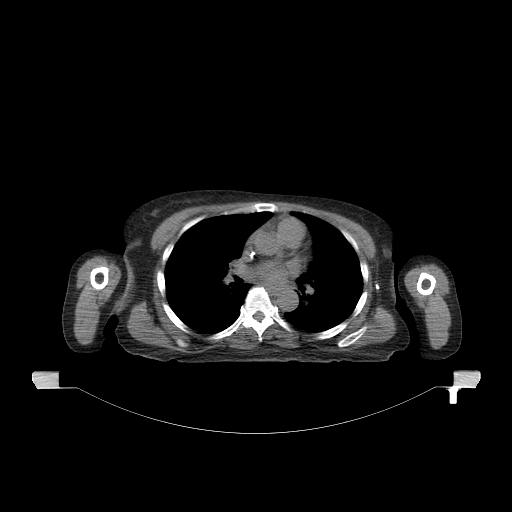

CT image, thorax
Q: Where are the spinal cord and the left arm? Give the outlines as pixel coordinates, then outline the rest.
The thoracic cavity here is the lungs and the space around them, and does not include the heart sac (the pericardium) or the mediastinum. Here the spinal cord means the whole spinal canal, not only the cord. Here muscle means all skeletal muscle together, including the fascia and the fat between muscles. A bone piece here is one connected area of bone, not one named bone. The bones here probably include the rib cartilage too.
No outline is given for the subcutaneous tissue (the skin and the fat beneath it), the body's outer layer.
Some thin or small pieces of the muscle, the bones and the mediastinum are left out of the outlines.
A: The spinal cord is outlined by 258 311; 259 311; 260 312; 261 312; 263 314; 263 315; 264 316; 263 317; 263 318; 261 320; 257 320; 255 318; 254 318; 254 317; 253 316; 253 315; 256 312; 257 312. The left arm is outlined by 419 253; 431 254; 441 259; 449 267; 453 274; 455 281; 456 292; 462 316; 462 338; 458 350; 454 354; 443 359; 432 360; 425 359; 420 356; 418 352; 419 336; 414 319; 405 302; 400 296; 397 287; 397 276; 399 269; 411 256. The pericardium is outlined by 282 214; 288 214; 295 217; 301 220; 305 224; 309 232; 311 241; 310 244; 311 257; 309 261; 307 262; 305 269; 293 278; 279 280; 278 279; 275 280; 262 279; 255 276; 244 267; 242 257; 244 247; 249 236; 255 230; 270 220. The right arm is outlined by 95 248; 103 248; 110 251; 118 252; 122 256; 127 267; 128 281; 122 299; 114 315; 109 318; 104 327; 103 330; 104 340; 100 349; 94 353; 78 353; 70 349; 65 342; 61 324; 62 306; 67 286; 68 275; 73 262; 82 253. The muscle appears in 4 outlined pieces: piece 1: 242 201; 261 201; 209 217; 201 214; 188 220; 179 230; 177 241; 169 242; 163 249; 161 263; 165 265; 164 270; 158 269; 155 277; 160 295; 167 301; 161 303; 165 314; 183 332; 190 334; 192 329; 209 334; 206 337; 209 341; 218 341; 241 328; 252 328; 259 342; 245 349; 219 346; 187 353; 135 339; 129 333; 126 321; 133 305; 153 295; 156 255; 150 242; 159 224; 188 207, around a hole outlined by 178 338; 180 338; 182 340; 183 340; 186 343; 187 343; 187 346; 181 346; 180 345; 178 345; 177 344; 177 343; 176 342; 176 340; piece 2: 272 201; 299 203; 334 212; 357 222; 369 233; 376 248; 372 263; 374 300; 395 320; 396 332; 392 337; 339 352; 321 350; 307 343; 282 347; 262 341; 264 331; 274 324; 290 333; 294 331; 293 327; 311 332; 316 340; 332 338; 347 327; 349 322; 346 319; 350 315; 356 317; 360 313; 368 297; 363 286; 368 282; 369 268; 364 260; 359 260; 359 246; 351 233; 306 209; 290 210; inner edge: 364 325; 365 325; 367 327; 366 328; 365 331; 358 339; 357 339; 353 343; 352 343; 350 345; 348 345; 347 346; 344 346; 343 347; 340 347; 339 346; 338 346; 337 343; 342 338; 345 337; 348 334; 359 329; 362 326; 363 326; piece 3: 96 255; 108 256; 114 259; 121 270; 121 277; 109 299; 100 309; 99 321; 97 324; 97 328; 93 341; 90 344; 82 345; 75 338; 73 331; 74 310; 78 297; 78 291; 76 288; 76 274; 77 273; 77 270; 87 259; 89 259, around a hole outlined by 97 266; 106 266; 108 268; 108 281; 107 282; 107 284; 103 288; 102 288; 101 289; 95 289; 91 285; 91 283; 90 282; 90 272; 91 271; 91 270; 93 268; 94 268; 95 267; 96 267; piece 4: 421 263; 434 263; 436 264; 443 270; 449 281; 450 292; 446 299; 446 302; 448 305; 451 316; 451 325; 449 328; 448 340; 446 344; 439 349; 433 349; 430 346; 424 320; 424 313; 416 304; 404 284; 405 274; 411 268 with a hole at 421 272; 427 272; 428 273; 431 274; 435 278; 435 286; 434 287; 434 288; 433 289; 432 292; 430 294; 429 294; 428 295; 423 295; 422 294; 421 294; 417 290; 417 289; 416 288; 416 284; 417 283; 417 280; 418 279; 418 277. The thoracic cavity appears in 2 outlined pieces: piece 1: 255 212; 270 212; 271 215; 247 237; 240 257; 235 260; 239 267; 239 275; 245 283; 249 283; 251 285; 239 308; 238 316; 225 328; 210 334; 189 327; 175 313; 166 297; 164 271; 175 244; 188 229; 206 218; 218 215; 248 214; piece 2: 291 211; 299 211; 313 215; 335 227; 351 245; 359 261; 363 285; 351 314; 339 323; 320 331; 312 332; 299 329; 291 325; 282 316; 298 307; 300 291; 296 280; 302 274; 310 271; 310 265; 314 259; 312 234; 305 222; 291 215. The torso is outlined by 202 188; 323 196; 357 204; 382 217; 395 233; 392 258; 396 307; 409 329; 408 346; 378 362; 179 362; 125 351; 114 334; 117 323; 114 316; 129 281; 128 267; 120 253; 125 249; 121 235; 123 221; 130 211; 149 199. The mediastinum appears in 3 outlined pieces: piece 1: 241 256; 243 267; 255 277; 262 280; 288 280; 301 274; 295 280; 297 289; 299 291; 299 302; 297 307; 291 311; 283 313; 282 315; 279 308; 272 302; 267 290; 262 285; 252 285; 249 282; 245 282; 240 275; 240 267; 236 260; piece 2: 310 232; 311 237; 312 238; 312 248; 313 249; 312 256; 313 257; 313 259; 309 265; 309 271; 302 273; 302 272; 306 269; 308 265; 308 262; 310 261; 312 257; 312 255; 311 254; 311 244; 312 243; 312 241; 311 240; piece 3: 286 211; 290 211; 289 214; 288 213; 282 213; 281 214; 280 214; 279 215; 278 215; 277 216; 276 216; 275 217; 274 217; 273 218; 270 219; 268 221; 267 221; 265 223; 264 223; 272 215; 272 213; 273 212; 285 212. The bones appear in 14 outlined pieces: piece 1: 252 286; 262 286; 266 290; 271 302; 278 308; 279 313; 292 327; 293 331; 290 332; 274 323; 263 331; 261 341; 258 340; 258 335; 252 327; 241 327; 230 335; 218 340; 209 340; 208 336; 225 329; 239 316; 240 308, around a hole outlined by 258 311; 259 311; 260 312; 261 312; 263 314; 263 315; 264 316; 263 317; 263 318; 261 320; 257 320; 255 318; 254 318; 254 317; 253 316; 253 315; 256 312; 257 312; piece 2: 257 202; 272 202; 279 207; 283 207; 289 210; 286 210; 285 211; 273 211; 272 212; 270 211; 255 211; 254 212; 249 212; 248 213; 219 214; 224 211; 232 210; 233 209; 239 208; 240 207; 244 207; 248 205; 251 205; piece 3: 97 266; 106 266; 108 268; 108 281; 107 282; 107 284; 103 288; 102 288; 101 289; 95 289; 91 285; 91 283; 90 282; 90 272; 91 271; 91 270; 93 268; 94 268; 95 267; 96 267; piece 4: 421 272; 427 272; 428 273; 431 274; 435 278; 435 286; 434 287; 434 288; 433 289; 432 292; 430 294; 429 294; 428 295; 423 295; 422 294; 421 294; 417 290; 417 289; 416 288; 416 284; 417 283; 417 280; 418 279; 418 277; piece 5: 345 320; 346 320; 348 322; 346 327; 334 336; 332 337; 330 337; 329 338; 326 338; 325 339; 316 339; 314 337; 314 335; 313 334; 315 332; 320 332; 324 330; 327 330; 339 324; 341 322; piece 6: 163 302; 166 302; 169 305; 169 306; 174 312; 174 313; 187 326; 188 326; 188 327; 191 331; 190 333; 187 333; 183 331; 181 329; 177 327; 171 321; 171 320; 166 314; 162 306; 162 303; piece 7: 364 325; 365 325; 367 327; 366 328; 365 331; 358 339; 357 339; 353 343; 352 343; 350 345; 348 345; 347 346; 344 346; 343 347; 340 347; 339 346; 338 346; 337 343; 342 338; 345 337; 348 334; 359 329; 362 326; 363 326; piece 8: 363 290; 366 290; 367 291; 367 297; 366 298; 365 303; 362 307; 362 308; 359 312; 359 313; 356 316; 352 316; 352 312; 353 311; 353 310; 354 309; 354 308; 355 307; 355 306; 356 305; 356 304; 357 303; 357 302; 358 301; piece 9: 161 269; 163 271; 163 272; 164 273; 164 280; 165 281; 165 296; 162 296; 161 295; 161 293; 160 292; 160 291; 159 290; 159 288; 158 287; 158 285; 157 284; 157 278; 156 277; 156 274; 157 273; 157 271; 158 270; 160 270; piece 10: 201 215; 205 215; 206 216; 205 218; 200 220; 198 222; 197 222; 195 224; 194 224; 192 226; 188 228; 179 237; 178 236; 178 234; 180 230; 182 228; 182 227; 188 221; 198 216; 200 216; piece 11: 339 228; 342 228; 343 229; 346 230; 348 232; 349 232; 350 233; 350 234; 355 240; 355 241; 358 246; 358 249; 359 250; 358 253; 357 253; 355 251; 355 250; 354 249; 354 248; 352 246; 352 245; 347 240; 347 239; 339 230; piece 12: 172 242; 173 243; 174 243; 174 246; 173 247; 173 248; 172 249; 172 250; 171 251; 171 252; 170 253; 170 254; 169 255; 165 264; 163 264; 162 263; 162 255; 163 254; 163 251; 166 247; 166 246; 169 243; 171 243; piece 13: 361 260; 362 261; 364 261; 366 263; 366 266; 368 268; 368 277; 367 278; 367 282; 366 283; 364 283; 364 282; 363 281; 363 277; 362 276; 362 273; 361 272; 361 268; 360 267; 360 261; piece 14: 178 338; 180 338; 182 340; 183 340; 186 343; 187 343; 187 346; 181 346; 180 345; 178 345; 177 344; 177 343; 176 342; 176 340.